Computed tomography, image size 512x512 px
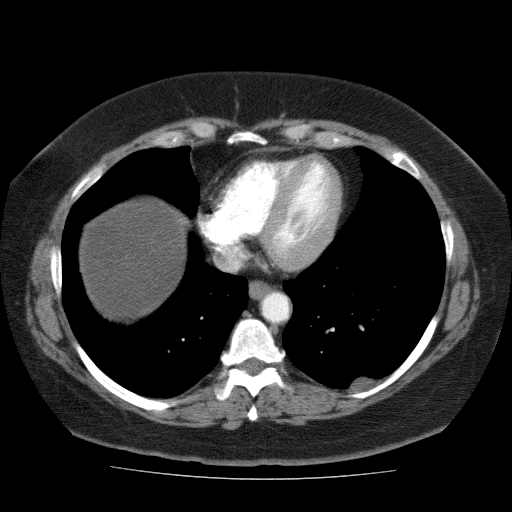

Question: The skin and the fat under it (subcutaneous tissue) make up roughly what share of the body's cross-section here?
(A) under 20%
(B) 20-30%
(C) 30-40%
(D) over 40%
Answer: (C) 30-40%
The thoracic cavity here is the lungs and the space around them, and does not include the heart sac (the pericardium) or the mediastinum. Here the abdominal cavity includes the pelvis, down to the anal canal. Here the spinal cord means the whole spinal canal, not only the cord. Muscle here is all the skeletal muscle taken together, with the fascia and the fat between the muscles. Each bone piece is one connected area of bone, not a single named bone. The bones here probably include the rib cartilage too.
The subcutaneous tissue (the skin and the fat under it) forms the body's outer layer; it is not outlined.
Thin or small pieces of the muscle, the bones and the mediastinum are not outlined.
{"mediastinum":[[[218,136],[229,145],[251,142],[263,146],[268,139],[280,137],[297,145],[324,149],[354,146],[359,154],[363,179],[353,210],[343,224],[347,202],[344,164],[327,151],[297,146],[253,148],[230,157],[202,188],[198,207],[199,184],[189,160],[190,146]],[[195,218],[197,231],[207,246],[243,264],[250,270],[280,278],[298,274],[282,284],[293,308],[282,332],[281,345],[276,343],[271,331],[260,319],[245,317],[237,321],[248,302],[248,282],[242,275],[222,271],[205,261],[201,240],[194,230]]],"pericardium":[[[288,147],[319,150],[336,157],[343,164],[346,174],[346,202],[342,224],[329,245],[319,257],[301,272],[288,277],[280,277],[259,270],[250,269],[243,263],[207,245],[199,233],[195,222],[198,208],[201,203],[203,188],[217,170],[230,158],[253,149]]],"abdominal_cavity":[[[137,194],[150,194],[171,204],[185,214],[190,220],[193,220],[193,230],[190,231],[187,236],[187,260],[183,275],[175,290],[155,311],[147,317],[135,323],[125,325],[105,319],[92,305],[86,294],[79,270],[78,244],[82,228],[86,222],[118,202]]],"bones":[{"outer":[[245,318],[255,318],[263,322],[275,343],[285,351],[288,374],[284,374],[278,364],[275,365],[282,378],[292,385],[292,393],[270,384],[262,387],[253,398],[244,386],[236,385],[226,399],[216,398],[212,386],[217,381],[220,356],[228,348],[235,324]],"hole":[[250,358],[256,358],[258,360],[259,360],[260,361],[263,362],[263,363],[264,364],[264,367],[257,374],[255,374],[254,375],[251,375],[250,374],[249,374],[244,369],[243,369],[241,367],[241,365],[242,364],[242,363],[247,359],[249,359]]},[[75,339],[77,340],[84,351],[96,366],[116,383],[138,395],[147,398],[152,398],[153,399],[165,399],[166,400],[175,401],[176,405],[166,408],[161,411],[146,410],[141,407],[134,405],[112,393],[104,387],[86,368],[80,359],[73,345],[73,341]],[[304,123],[311,124],[316,130],[334,131],[340,134],[345,134],[355,138],[359,141],[360,144],[351,146],[324,148],[323,147],[316,147],[313,145],[306,145],[302,143],[298,144],[294,143],[293,141],[291,141],[279,134],[279,131],[288,126]],[[435,314],[438,315],[439,320],[431,339],[419,357],[404,373],[395,381],[386,387],[369,396],[367,396],[364,398],[356,398],[355,397],[348,396],[351,393],[366,390],[374,386],[376,384],[381,382],[387,376],[393,372],[405,360],[415,347],[432,317]],[[194,121],[203,121],[215,125],[217,127],[217,131],[216,135],[213,139],[205,139],[196,137],[193,138],[188,144],[175,147],[161,147],[160,146],[151,146],[150,145],[150,140],[158,134],[171,130],[177,130],[178,129],[185,130],[188,128],[189,124]],[[380,147],[391,147],[395,150],[400,150],[406,153],[407,155],[409,156],[409,157],[413,161],[413,162],[417,167],[422,177],[421,182],[420,182],[409,173],[408,173],[403,169],[401,169],[399,167],[394,165],[387,159],[382,156],[378,152],[378,149]],[[53,245],[60,245],[60,253],[61,254],[61,279],[62,280],[62,286],[61,287],[61,297],[60,298],[59,298],[56,294],[56,291],[54,288],[54,286],[53,285],[53,282],[52,281],[52,277],[51,276],[51,270],[50,269],[50,249]],[[97,165],[103,165],[105,168],[105,172],[91,186],[90,186],[72,204],[71,204],[70,203],[70,198],[71,197],[71,194],[72,193],[73,190],[78,184],[78,183],[82,179],[82,178],[88,172],[88,171],[89,171],[93,167],[94,167]],[[243,130],[249,130],[250,131],[258,133],[267,138],[268,141],[266,144],[264,144],[263,145],[262,144],[260,144],[256,142],[252,142],[251,141],[240,141],[236,143],[229,144],[226,142],[226,139],[227,137],[231,133],[235,131],[242,131]],[[442,218],[443,219],[449,219],[450,220],[451,225],[452,226],[452,230],[453,231],[453,250],[452,251],[452,255],[451,256],[450,263],[448,266],[446,266],[445,246],[444,245],[444,241],[443,240],[443,236],[442,235],[441,226],[440,225],[440,220]]],"spinal_cord":[[[250,358],[256,358],[258,360],[259,360],[260,361],[263,362],[263,363],[264,364],[264,367],[257,374],[255,374],[254,375],[251,375],[250,374],[249,374],[244,369],[243,369],[241,367],[241,365],[242,364],[242,363],[247,359],[249,359]]],"thoracic_cavity":[[[357,145],[373,150],[423,186],[439,219],[445,270],[435,313],[404,360],[375,384],[358,389],[339,389],[316,381],[286,360],[286,351],[279,346],[282,345],[283,332],[294,306],[283,284],[296,278],[320,257],[354,210],[364,179],[360,154],[354,147]],[[185,145],[198,184],[193,219],[137,193],[86,221],[77,244],[87,298],[120,325],[147,318],[176,290],[192,231],[208,265],[247,282],[247,302],[219,366],[181,394],[153,398],[108,376],[76,338],[62,301],[61,242],[72,205],[118,161],[145,148]]],"torso":[[[212,69],[307,72],[376,87],[427,117],[499,183],[511,239],[511,272],[504,316],[479,380],[437,434],[375,455],[331,463],[207,465],[134,453],[81,439],[72,434],[40,393],[10,327],[0,272],[4,208],[16,171],[73,120],[104,99],[160,77]]],"muscle":[{"outer":[[193,116],[216,116],[228,119],[234,118],[245,126],[249,126],[259,120],[270,117],[330,119],[349,124],[369,133],[382,135],[404,149],[422,166],[429,176],[437,184],[443,196],[449,205],[455,211],[455,213],[463,227],[469,243],[471,256],[475,263],[479,279],[480,299],[479,300],[479,307],[476,315],[465,336],[444,356],[400,390],[389,397],[371,404],[359,411],[340,417],[329,419],[314,419],[309,420],[305,424],[294,425],[288,423],[276,423],[265,418],[260,421],[256,421],[258,418],[258,411],[256,405],[253,402],[250,405],[246,413],[246,416],[249,420],[246,420],[240,426],[235,429],[224,429],[218,425],[205,427],[189,427],[188,426],[169,425],[155,422],[131,411],[127,410],[123,411],[106,401],[85,384],[68,373],[55,361],[45,355],[36,343],[26,322],[25,294],[26,293],[26,284],[28,280],[28,273],[30,271],[30,263],[34,248],[40,235],[47,229],[48,222],[50,220],[52,213],[58,204],[59,200],[72,184],[104,153],[130,141],[138,135],[153,128],[158,127],[166,123]],"hole":[[194,121],[215,125],[215,136],[224,139],[243,130],[268,139],[285,139],[279,134],[281,129],[308,123],[316,130],[353,137],[377,153],[380,147],[403,151],[413,161],[438,218],[451,222],[453,250],[444,271],[435,311],[439,320],[433,335],[395,381],[364,398],[350,397],[370,386],[330,387],[286,360],[288,374],[275,365],[292,385],[292,393],[270,384],[253,398],[244,386],[236,385],[226,399],[219,400],[212,389],[218,366],[183,393],[166,397],[176,405],[157,411],[112,393],[86,368],[73,345],[76,336],[62,298],[56,294],[50,269],[50,249],[61,244],[72,206],[71,194],[93,167],[103,165],[106,172],[129,154],[149,148],[150,140],[158,134],[185,130]]}]}